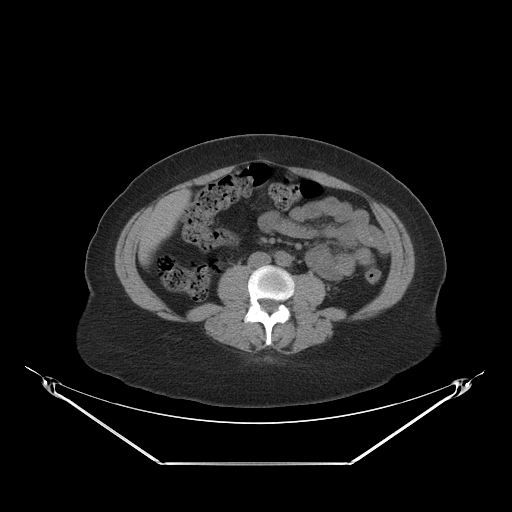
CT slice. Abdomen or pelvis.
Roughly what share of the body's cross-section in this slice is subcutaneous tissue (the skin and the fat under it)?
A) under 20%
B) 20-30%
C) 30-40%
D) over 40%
Answer: D) over 40%
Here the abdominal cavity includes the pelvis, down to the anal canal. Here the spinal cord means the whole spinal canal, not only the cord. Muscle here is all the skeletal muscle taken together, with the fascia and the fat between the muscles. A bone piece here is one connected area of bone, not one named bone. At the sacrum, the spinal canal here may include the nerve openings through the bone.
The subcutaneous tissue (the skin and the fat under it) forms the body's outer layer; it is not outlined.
muscle: [[258,157],[325,172],[359,188],[397,215],[409,234],[415,256],[412,280],[398,302],[375,317],[340,323],[330,339],[303,353],[285,355],[263,349],[251,355],[220,347],[208,341],[194,323],[164,319],[131,300],[114,267],[116,243],[127,221],[169,188],[246,160],[217,179],[172,190],[153,205],[136,245],[135,265],[146,285],[172,310],[184,315],[202,304],[221,304],[217,287],[222,274],[237,264],[248,266],[248,306],[243,321],[262,324],[266,346],[272,344],[274,325],[291,317],[287,301],[294,293],[294,275],[312,274],[323,282],[326,293],[318,309],[336,307],[349,315],[378,295],[390,269],[392,251],[390,240],[368,202],[357,193],[298,176],[286,168],[252,159]]
spinal cord: [[261,299],[272,299],[273,300],[276,300],[279,302],[279,304],[277,306],[277,308],[274,311],[273,311],[272,312],[271,312],[270,313],[269,313],[267,311],[266,311],[265,310],[264,310],[262,308],[262,307],[261,306],[261,303],[260,302],[260,300]]
bones: [[269,264],[286,270],[292,276],[294,289],[292,295],[286,301],[290,317],[283,323],[277,322],[273,325],[271,329],[271,344],[266,345],[266,332],[263,324],[259,321],[245,322],[244,316],[249,306],[249,293],[247,287],[248,279],[253,270],[260,266]], around a hole outlined by [[261,299],[272,299],[273,300],[276,300],[279,302],[279,304],[277,306],[277,308],[274,311],[273,311],[272,312],[271,312],[270,313],[269,313],[267,311],[266,311],[265,310],[264,310],[262,308],[262,307],[261,306],[261,303],[260,302],[260,300]]
torso: [[247,133],[303,136],[337,145],[382,166],[418,197],[438,230],[447,266],[436,307],[444,333],[437,353],[361,393],[321,403],[267,408],[214,406],[156,394],[129,386],[82,361],[75,348],[74,331],[88,294],[86,251],[104,211],[153,163],[200,142]]
abdominal cavity: [[251,160],[367,202],[391,251],[375,297],[349,314],[336,306],[318,308],[327,293],[319,277],[292,275],[270,263],[252,270],[239,263],[228,267],[216,287],[221,303],[202,303],[184,314],[147,285],[136,265],[137,245],[154,205],[172,191],[212,182]]